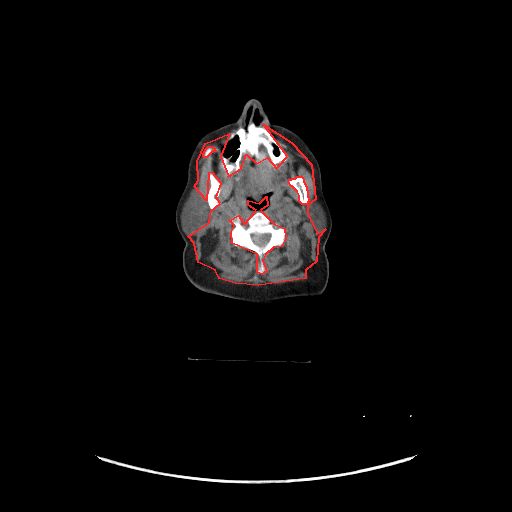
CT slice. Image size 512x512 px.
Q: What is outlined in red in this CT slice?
A: red: muscle.
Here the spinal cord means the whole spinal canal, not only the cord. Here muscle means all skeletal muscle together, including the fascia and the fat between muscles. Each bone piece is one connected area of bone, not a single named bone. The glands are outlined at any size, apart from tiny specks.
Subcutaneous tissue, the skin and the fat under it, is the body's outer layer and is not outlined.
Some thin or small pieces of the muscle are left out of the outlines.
The muscle is outlined by 263,124 291,142 311,164 315,199 307,205 307,214 317,233 325,229 318,237 316,261 305,270 305,278 258,285 235,283 219,278 215,270 198,262 194,243 188,236 209,222 211,210 220,203 216,197 221,183 212,172 208,173 206,200 194,186 198,180 197,161 205,143 229,133 220,156 228,176 241,168 246,154 256,163 267,157 276,168 287,156; inner edges: 266,196 267,205 260,210 273,223 284,228 285,238 281,246 273,247 265,254 262,260 266,271 261,274 257,272 257,254 232,243 231,231 234,225 229,220 238,215 244,224 256,210 248,205 248,200 259,203, then 297,176 301,176 302,177 303,179 303,181 306,186 306,189 307,190 307,196 308,197 308,201 306,204 302,204 299,201 299,195 297,191 292,186 291,186 288,182 289,179 291,179 292,178 295,178, then 208,146 211,146 212,147 213,147 214,148 214,149 215,150 214,151 212,151 206,157 204,157 203,156 203,153 204,152 204,151 205,150 205,149. The parotid glands appear in 2 outlined pieces: piece 1: 193,187 196,187 200,190 203,197 205,199 206,202 209,205 209,208 210,209 210,219 207,223 202,226 193,234 189,235 185,233 182,227 182,222 181,221 181,213 182,212 182,208 183,207 184,202 188,197; piece 2: 314,200 317,200 318,202 321,205 321,207 325,215 325,220 326,221 326,226 324,227 319,232 317,232 315,228 312,225 311,223 311,220 308,214 308,205. The bones appear in 5 outlined pieces: piece 1: 250,119 256,124 261,122 275,137 286,160 273,167 267,156 265,160 256,162 246,153 240,161 240,168 228,175 221,164 221,156 223,154 235,160 239,153 238,138 235,136 229,141 229,134 239,126 245,127; piece 2: 256,210 263,212 273,223 278,223 285,230 283,244 273,247 263,257 262,260 266,269 263,274 257,272 259,263 257,254 245,247 235,246 232,243 231,231 234,225 229,221 238,215 244,224 247,218 with a hole at 251,234 269,234 269,239 268,240 268,241 265,244 265,245 264,245 263,246 260,246 259,245 257,245 255,243 254,243 253,242 253,241 252,240 252,238 251,237; piece 3: 209,173 212,173 214,175 216,179 220,183 220,191 219,192 219,194 215,197 216,199 219,202 219,203 217,207 214,209 211,209 210,208 210,205 207,202 207,194 208,193 208,191 210,187 210,180 209,179; piece 4: 297,176 301,176 302,177 303,179 303,181 306,186 306,189 307,190 307,196 308,197 308,201 306,204 302,204 299,201 299,195 297,191 292,186 291,186 288,182 289,179 291,179 292,178 295,178; piece 5: 208,146 211,146 212,147 213,147 214,148 214,149 215,150 214,151 212,151 206,157 204,157 203,156 203,153 204,152 204,151 205,150 205,149. The head and neck is outlined by 251,98 261,102 271,123 297,133 318,161 322,189 332,218 331,231 325,245 329,277 326,288 319,296 289,297 256,303 236,301 197,289 184,274 184,241 176,226 175,209 187,180 192,150 205,133 234,121 with holes at 235,137 237,138 237,140 238,141 238,145 236,148 238,153 235,159 232,159 232,157 230,155 228,156 226,156 224,155 223,153 223,148 224,146 225,146 226,144 228,143 228,142 232,140 and at 266,196 267,196 267,198 266,199 267,200 267,205 265,207 264,207 263,208 261,208 260,209 254,209 253,208 250,207 248,205 248,200 249,199 252,200 256,203 259,203 260,202 263,201 265,199 265,197 and at 255,111 258,111 258,113 259,114 259,115 261,117 261,121 259,123 256,123 254,121 254,120 253,119 253,117 254,116 254,113 255,112 and at 249,108 250,108 251,109 251,113 250,114 250,116 248,118 248,121 247,122 246,121 246,118 247,117 247,111 248,110 248,109. The spinal cord is outlined by 251,234 269,234 269,239 268,240 268,241 265,244 265,245 264,245 263,246 260,246 259,245 257,245 255,243 254,243 253,242 253,241 252,240 252,238 251,237.